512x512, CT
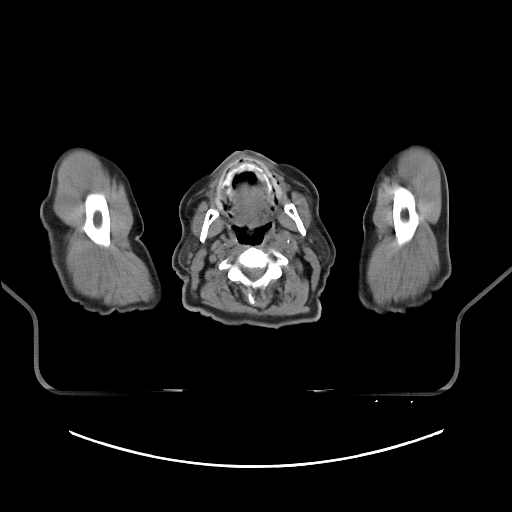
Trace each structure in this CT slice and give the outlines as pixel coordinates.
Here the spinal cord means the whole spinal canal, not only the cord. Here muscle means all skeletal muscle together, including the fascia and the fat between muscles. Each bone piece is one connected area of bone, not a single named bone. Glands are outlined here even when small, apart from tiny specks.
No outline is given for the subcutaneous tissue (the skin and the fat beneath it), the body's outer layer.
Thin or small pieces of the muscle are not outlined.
The head and neck is outlined by 243,149 256,151 276,162 294,165 313,182 318,191 319,215 335,245 336,257 320,297 320,316 314,322 277,329 229,326 190,311 182,304 182,280 171,265 172,253 181,235 180,200 196,179 213,170 234,151; inner edges: 266,224 269,224 269,227 264,232 263,234 263,237 260,242 252,244 251,243 242,243 238,241 237,234 234,230 234,226 237,226 241,228 245,232 246,235 250,238 254,235 254,232 256,229 262,226 264,226, then 245,172 249,172 250,173 252,173 255,177 255,179 253,181 250,181 248,179 240,179 239,180 238,180 234,184 233,183 233,182 234,181 234,178 236,176 238,176 240,174 241,174 242,173 244,173. The spinal cord is outlined by 243,268 248,268 249,269 251,269 252,268 264,268 265,269 265,270 264,271 264,272 262,274 262,275 261,276 260,276 258,278 257,278 256,279 255,279 254,280 252,280 251,279 250,279 243,272. The parotid glands appear in 2 outlined pieces: piece 1: 312,223 315,223 318,226 318,230 320,232 321,235 324,238 329,248 329,255 327,259 326,259 323,262 320,262 317,259 315,254 310,248 310,247 307,243 307,232 308,231 308,228 309,226; piece 2: 191,235 194,235 197,238 198,240 198,246 197,247 197,249 196,251 193,254 192,256 192,258 190,262 190,265 187,268 184,268 180,264 180,253 182,249 184,247 184,245 186,241. The bones appear in 5 outlined pieces: piece 1: 251,245 264,251 273,248 288,260 287,265 281,267 282,273 280,277 272,279 264,288 252,291 255,300 254,304 251,304 248,300 248,288 239,281 230,280 226,269 219,269 219,263 222,260 227,257 234,259; inner edge: 243,268 248,268 249,269 251,269 252,268 264,268 265,269 265,270 264,271 264,272 262,274 262,275 261,276 260,276 258,278 257,278 256,279 255,279 254,280 252,280 251,279 250,279 243,272; piece 2: 239,164 253,164 269,171 281,189 280,199 275,199 272,204 265,182 259,180 252,172 245,171 236,175 232,182 231,200 225,198 223,208 209,225 206,238 201,242 199,236 205,214 210,208 218,208 218,182; piece 3: 94,192 102,193 105,196 105,199 107,203 108,211 109,212 109,222 110,223 110,245 108,247 100,246 94,243 82,229 82,227 85,222 85,206 84,205 84,202 85,201 86,196 89,193 93,193; piece 4: 400,187 405,187 413,194 414,196 414,199 415,200 415,207 416,208 416,211 419,217 419,222 415,229 415,231 413,234 412,238 408,242 405,243 399,247 399,245 395,237 394,227 393,226 393,194 394,192; piece 5: 290,202 294,204 296,208 296,210 306,230 306,233 305,235 303,236 298,230 297,228 297,226 294,220 292,219 284,211 284,209 283,208 283,206 284,204 286,203 289,203. The left arm is outlined by 414,141 423,142 430,146 439,156 446,173 449,191 449,250 452,273 443,286 417,308 409,309 405,314 391,313 382,316 366,309 360,303 356,292 358,257 363,235 362,217 370,197 373,180 380,167 396,149. The muscle appears in 3 outlined pieces: piece 1: 244,154 254,156 274,166 303,183 309,190 312,199 310,208 313,222 308,226 307,231 295,204 290,201 282,206 283,211 293,220 299,233 303,237 306,234 307,245 321,263 318,284 311,309 307,313 292,316 228,313 200,303 191,294 190,278 185,269 191,265 199,246 199,240 194,234 191,234 191,212 188,208 188,201 198,190 205,187 220,170; inner edges: 266,224 269,227 261,241 253,245 264,251 277,250 288,263 281,267 280,277 252,291 255,303 251,304 248,288 230,280 228,271 219,269 219,263 227,257 234,259 252,244 238,241 234,226 250,238 256,229, then 239,164 253,164 269,171 281,189 280,199 275,199 272,204 265,182 256,177 253,181 238,180 233,185 231,200 225,198 223,208 209,225 206,238 201,242 199,236 205,214 210,208 218,208 218,182 230,169; piece 2: 73,150 84,150 92,153 112,170 123,182 133,214 131,234 139,257 145,263 154,287 155,295 150,300 138,301 126,305 107,305 100,299 90,299 75,290 65,266 64,236 53,210 58,167 62,158 68,152, around a hole outlined by 94,192 102,193 105,196 105,199 107,203 108,211 109,212 109,222 110,223 110,245 108,247 100,246 94,243 82,229 82,227 85,222 85,206 84,205 84,202 85,201 86,196 89,193 93,193; piece 3: 413,147 420,147 427,150 435,159 440,173 441,211 439,217 439,239 437,241 440,269 426,288 416,297 398,302 391,301 379,304 373,298 366,282 367,262 372,249 372,214 376,202 377,187 390,164 404,151 with a hole at 400,187 405,187 413,194 414,196 414,199 415,200 415,207 416,208 416,211 419,217 419,222 415,229 415,231 413,234 412,238 408,242 405,243 399,247 399,245 395,237 394,227 393,226 393,194 394,192. The right arm is outlined by 74,145 86,146 107,156 129,179 143,219 144,228 140,239 151,255 162,286 161,303 153,310 126,313 113,311 108,315 99,315 68,299 60,285 50,261 47,235 40,221 39,208 48,191 56,158 63,150.